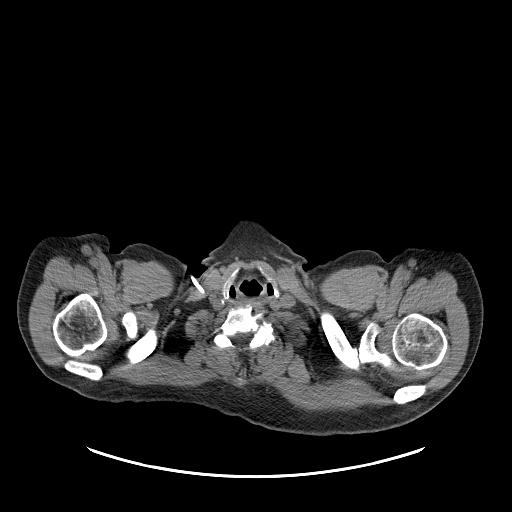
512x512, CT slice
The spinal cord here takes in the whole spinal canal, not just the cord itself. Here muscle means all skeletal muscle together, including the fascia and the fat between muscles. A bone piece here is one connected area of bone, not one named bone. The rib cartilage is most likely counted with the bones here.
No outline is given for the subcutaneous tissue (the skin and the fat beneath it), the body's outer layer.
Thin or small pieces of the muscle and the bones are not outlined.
The bones appear in 7 outlined pieces: piece 1: 323,310 333,315 354,347 367,325 374,322 380,329 374,341 376,349 393,357 391,340 395,326 404,316 416,312 440,326 448,348 441,362 427,369 416,370 396,360 391,369 371,362 355,370 332,351 319,318; piece 2: 83,292 88,293 99,306 106,324 107,336 104,341 94,350 87,350 76,358 81,361 98,364 103,373 99,381 94,381 74,374 64,368 66,361 72,357 59,347 55,340 52,329 55,316 66,306 71,298; piece 3: 247,304 252,306 252,311 254,313 261,312 264,319 271,323 274,330 273,332 276,336 275,340 268,345 262,345 246,353 229,346 219,348 213,341 213,337 215,335 214,330 223,322 231,307 239,307, around a hole outlined by 238,333 251,333 251,337 249,339 249,340 248,341 248,342 247,343 247,344 246,345 245,345 244,346 238,346 237,345 236,345 232,341 232,340 231,339 231,337 233,337 236,334 237,334; piece 4: 129,310 134,312 136,316 138,323 138,336 140,337 150,328 155,328 158,335 158,341 155,349 145,358 127,368 121,368 122,365 128,362 125,356 125,352 133,342 132,340 127,339 126,330 121,321 123,314; piece 5: 408,384 426,384 427,385 427,388 425,390 425,392 423,394 423,395 422,395 420,397 412,401 408,401 404,404 396,404 394,403 393,402 393,395 395,391 397,389 397,388 399,387 401,387 404,385 407,385; piece 6: 237,266 239,266 239,270 236,274 233,281 231,283 231,286 228,291 228,293 229,294 229,297 227,299 225,299 223,298 223,296 222,295 222,286 224,282 229,277 231,273 237,267; piece 7: 257,266 260,266 261,267 262,270 268,276 269,276 275,283 275,284 277,286 277,289 279,292 279,296 278,297 275,297 274,296 274,290 272,287 272,284 261,274 261,273 259,271 259,269 257,267. The central area in front of the spine is outlined by 247,265 256,266 260,274 271,284 275,298 280,296 279,287 294,297 295,305 288,309 273,309 266,306 253,307 247,303 239,306 225,306 215,310 208,301 209,295 218,293 221,288 222,298 227,300 240,268. The torso is outlined by 244,218 305,258 304,269 356,249 386,261 407,247 463,254 483,299 481,337 463,379 404,425 312,436 191,403 97,401 47,378 16,315 28,256 41,239 98,232 112,253 147,243 196,278 206,268 202,260. The spinal cord is outlined by 238,333 251,333 251,337 249,339 249,340 248,341 248,342 247,343 247,344 246,345 245,345 244,346 238,346 237,345 236,345 232,341 232,340 231,339 231,337 233,337 236,334 237,334. The muscle is outlined by 246,238 288,258 308,292 333,270 370,263 394,268 409,256 449,270 469,318 461,368 437,391 424,395 426,383 404,384 392,395 395,404 357,413 307,413 263,385 101,380 98,363 77,358 108,336 102,310 86,291 71,297 51,325 56,344 71,358 63,368 46,364 34,347 28,311 52,256 92,242 109,260 153,259 171,270 180,293; inner edges: 323,310 333,315 354,347 367,325 374,322 380,329 374,341 376,349 393,357 391,340 395,326 404,316 416,312 440,326 448,348 441,362 427,369 416,370 396,360 391,369 371,362 355,370 332,351 319,318, then 247,265 260,266 278,287 294,297 295,305 288,309 253,307 254,313 261,312 264,319 271,323 276,338 268,345 243,353 229,346 219,348 214,343 214,330 223,322 231,307 215,310 208,297 219,292 237,266, then 129,310 134,312 136,316 138,323 138,336 140,337 150,328 155,328 158,335 158,341 155,349 145,358 127,368 121,368 122,365 128,362 125,356 125,352 133,342 132,340 127,339 126,330 121,321 123,314.